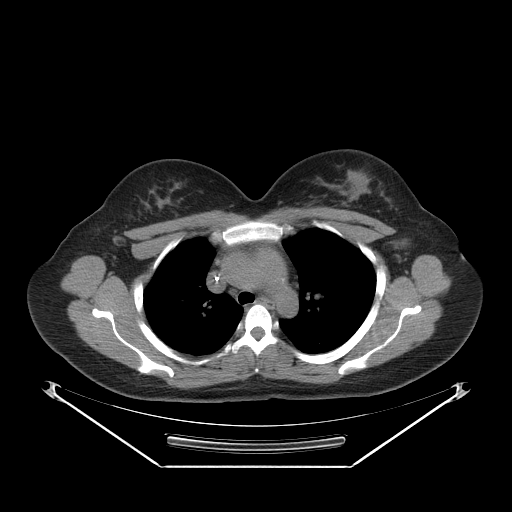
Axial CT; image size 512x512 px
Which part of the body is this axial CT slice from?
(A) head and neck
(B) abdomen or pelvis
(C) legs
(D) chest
(D) chest
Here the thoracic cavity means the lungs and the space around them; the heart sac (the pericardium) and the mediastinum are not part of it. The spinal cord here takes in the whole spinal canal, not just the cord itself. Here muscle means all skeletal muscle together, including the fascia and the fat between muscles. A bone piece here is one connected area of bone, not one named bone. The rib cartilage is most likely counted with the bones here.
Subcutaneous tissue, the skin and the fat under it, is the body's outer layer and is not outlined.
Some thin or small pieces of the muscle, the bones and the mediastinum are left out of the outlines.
Outlines:
mediastinum: 286,235 291,235 282,240 282,245 297,272 299,284 298,311 294,317 274,319 268,309 261,303 251,305 243,316 243,307 228,293 217,293 208,288 206,278 216,253 213,245 225,244 232,246 264,240 277,242
torso: 344,147 368,151 390,163 420,203 453,230 461,251 481,274 484,296 473,330 460,349 431,373 370,397 144,401 92,382 37,332 26,302 30,275 132,169 160,158 193,160 218,170 256,199 297,161
spinal cord: 255,327 260,327 263,330 263,331 264,332 264,333 263,334 263,335 259,339 256,339 251,334 251,331 252,330 252,329 253,329
muscle: 283,206 329,206 348,209 374,217 394,228 395,233 380,238 372,244 384,258 392,279 403,275 413,260 421,254 432,254 440,259 452,278 450,298 440,326 429,339 419,346 389,361 366,368 368,367 369,357 395,338 401,329 403,319 407,315 415,315 422,310 422,306 417,303 412,306 404,306 400,310 396,327 381,343 361,355 341,363 337,368 337,373 342,376 349,370 361,370 348,374 334,383 298,382 265,378 255,374 241,381 183,389 166,386 166,383 160,378 148,375 152,371 160,370 172,378 175,374 174,370 169,365 150,358 127,341 117,330 114,315 110,310 93,307 91,314 95,318 107,319 116,338 138,355 140,362 136,370 140,373 99,353 77,335 66,312 60,281 69,271 72,262 78,257 83,255 101,257 114,274 128,285 142,270 144,262 132,255 130,240 123,234 125,230 212,209 232,211 253,218 with a hole at 258,219 290,225 295,231 311,227 316,219 337,229 354,246 357,241 368,246 386,274 378,312 369,329 344,355 321,364 295,357 294,345 283,334 283,343 267,345 258,356 243,345 236,353 230,351 194,365 162,353 138,326 137,319 149,323 145,312 136,309 134,284 140,280 145,286 149,282 155,259 176,237 183,234 183,241 208,238 214,231
thoracic cavity 1: 310,227 315,227 331,232 355,246 371,263 375,273 373,300 362,322 343,343 331,350 321,353 307,353 296,348 282,334 279,323 280,319 291,319 298,314 300,291 298,272 284,248 283,240 295,234 299,230
thoracic cavity 2: 198,236 206,237 215,249 214,256 205,278 207,288 210,291 217,294 228,294 242,307 242,317 236,325 232,335 221,348 209,354 192,355 177,351 165,343 153,331 149,325 144,311 144,289 167,254 182,241
bones 1: 255,304 264,306 272,318 278,321 283,340 283,343 267,345 258,356 243,345 236,353 230,351 203,364 183,363 158,350 145,337 137,323 137,319 143,320 165,344 181,356 195,360 219,351 233,335 247,310 with a hole at 255,327 260,327 263,330 263,331 264,332 264,333 263,334 263,335 259,339 256,339 251,334 251,331 252,330 252,329 253,329
bones 2: 357,241 368,246 372,250 377,264 383,265 385,268 385,288 375,320 362,338 341,357 321,364 302,361 294,356 291,348 295,348 307,354 321,354 331,351 343,344 357,330 370,310 376,288 375,267 356,246
bones 3: 258,219 275,222 280,225 290,225 294,228 295,232 293,234 286,234 277,241 264,239 263,240 255,240 254,241 228,245 225,243 213,244 208,239 209,236 214,231 221,232 229,226 238,224 248,220 257,220
bones 4: 93,308 110,311 113,315 118,333 150,359 169,366 173,370 173,376 170,377 164,370 160,369 152,370 149,374 139,372 137,370 137,367 141,362 139,355 117,338 111,322 107,318 95,317 92,314
bones 5: 417,304 421,306 421,310 415,314 407,314 402,319 400,329 394,338 368,357 366,361 367,367 361,369 349,369 343,375 338,373 338,368 341,364 361,356 381,344 393,333 397,327 401,310 404,307 412,307
bones 6: 182,234 183,234 183,238 182,240 173,249 172,249 166,254 166,255 161,260 161,261 159,263 153,273 152,272 152,266 153,265 153,263 155,259 158,256 158,255 161,252 164,247 171,240 174,239 176,237
bones 7: 139,280 140,280 142,282 142,283 144,286 144,288 143,289 143,312 142,312 141,313 139,313 136,309 136,307 135,306 135,302 134,301 134,296 133,295 133,289 134,288 134,284 137,281 138,281
bones 8: 314,219 316,219 319,221 323,221 324,222 326,222 328,223 331,226 334,227 341,233 342,233 342,234 345,238 343,238 331,231 329,231 328,230 326,230 322,228 319,228 315,226 312,226 311,224 311,221